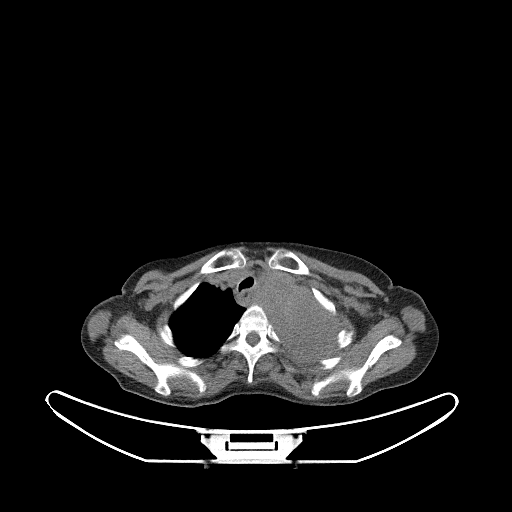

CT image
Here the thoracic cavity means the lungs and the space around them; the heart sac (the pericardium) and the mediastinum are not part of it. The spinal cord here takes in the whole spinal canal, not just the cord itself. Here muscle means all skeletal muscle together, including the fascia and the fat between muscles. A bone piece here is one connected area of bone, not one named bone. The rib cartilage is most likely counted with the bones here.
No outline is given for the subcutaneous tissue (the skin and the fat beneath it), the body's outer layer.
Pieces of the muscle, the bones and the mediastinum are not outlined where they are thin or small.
The thoracic cavity appears in 2 outlined pieces: piece 1: 271 272; 285 275; 297 282; 300 286; 311 293; 317 303; 333 318; 333 321; 337 326; 337 345; 335 350; 328 354; 326 356; 327 357; 316 361; 297 360; 285 347; 280 344; 281 339; 270 322; 264 308; 260 305; 262 294; 269 282; piece 2: 204 282; 208 282; 222 290; 230 288; 232 290; 233 297; 235 301; 239 305; 245 307; 245 309; 238 320; 233 325; 230 333; 214 353; 205 357; 195 357; 184 354; 176 346; 172 330; 168 324; 174 311; 181 306; 191 296; 201 283. The torso is outlined by 235 241; 300 242; 350 253; 373 263; 395 285; 412 289; 423 298; 439 330; 437 349; 431 361; 411 382; 345 405; 304 405; 271 395; 238 394; 213 404; 180 407; 122 389; 81 345; 80 330; 90 309; 119 293; 130 274; 148 261. The mediastinum is outlined by 253 266; 259 266; 264 270; 270 272; 269 273; 268 282; 263 289; 259 304; 258 303; 252 303; 247 307; 241 305; 236 301; 234 297; 233 290; 230 287; 222 289; 210 282; 216 278; 223 277; 240 269; 249 268. The spinal cord is outlined by 251 332; 255 332; 258 335; 258 336; 259 337; 259 340; 254 345; 251 345; 250 344; 249 344; 247 342; 247 341; 246 340; 246 338; 247 337; 247 335; 248 334; 249 334. The bones appear in 10 outlined pieces: piece 1: 252 304; 258 304; 263 308; 269 322; 280 339; 280 349; 276 353; 267 352; 258 358; 253 368; 252 381; 248 383; 247 377; 249 368; 245 357; 239 351; 236 350; 225 354; 222 354; 218 350; 231 333; 234 325; 239 320; 246 308, around a hole outlined by 251 332; 255 332; 258 335; 258 336; 259 337; 259 340; 254 345; 251 345; 250 344; 249 344; 247 342; 247 341; 246 340; 246 338; 247 337; 247 335; 248 334; 249 334; piece 2: 123 334; 133 336; 157 363; 175 362; 182 355; 202 358; 201 363; 190 369; 204 381; 205 390; 200 392; 193 381; 181 376; 167 379; 171 390; 168 396; 155 391; 154 387; 157 383; 155 373; 134 353; 121 350; 114 344; 114 341; piece 3: 389 334; 399 338; 401 343; 383 352; 367 369; 361 379; 362 390; 359 393; 348 397; 346 395; 346 390; 349 381; 342 379; 326 385; 317 396; 312 394; 311 388; 315 381; 321 380; 343 369; 359 368; 365 362; 377 342; piece 4: 232 247; 238 248; 245 256; 246 258; 246 263; 244 267; 242 268; 228 268; 227 269; 224 269; 223 270; 220 270; 215 272; 211 272; 206 274; 201 274; 200 273; 200 269; 203 264; 205 263; 219 250; 223 248; 231 248; piece 5: 281 247; 290 249; 307 266; 310 272; 310 275; 304 275; 303 274; 295 274; 294 273; 291 273; 290 272; 288 272; 284 270; 280 270; 279 269; 272 269; 270 268; 267 262; 268 259; 270 257; 270 256; 276 250; 276 249; 280 248; piece 6: 311 287; 314 287; 318 289; 326 297; 327 297; 333 302; 335 306; 335 315; 331 315; 331 314; 328 311; 324 309; 324 308; 322 307; 322 306; 320 305; 319 303; 318 303; 318 302; 315 299; 313 295; 313 293; 311 290; piece 7: 197 281; 199 281; 200 282; 198 286; 194 290; 194 291; 190 295; 190 296; 181 305; 180 305; 175 310; 174 310; 173 309; 173 303; 175 299; 179 295; 180 295; 183 292; 184 292; 190 286; 191 286; 195 282; piece 8: 164 324; 167 324; 169 326; 171 330; 171 332; 172 333; 172 337; 173 338; 173 341; 175 344; 175 346; 174 347; 172 346; 170 346; 168 344; 165 343; 162 340; 161 337; 159 335; 159 333; 158 332; 158 327; 160 326; 162 326; piece 9: 342 329; 345 329; 348 331; 349 330; 353 330; 353 331; 354 332; 353 333; 353 335; 352 336; 352 340; 351 341; 351 342; 349 344; 348 344; 346 346; 345 346; 342 348; 338 348; 338 336; 337 335; 337 334; 338 333; 338 332; piece 10: 336 356; 340 356; 341 357; 341 359; 340 360; 340 361; 334 367; 333 367; 332 368; 331 368; 330 369; 323 369; 322 368; 322 366; 320 364; 320 363; 318 361; 319 361; 321 359; 323 359; 324 358; 329 358; 330 357; 335 357. The muscle appears in 3 outlined pieces: piece 1: 239 246; 277 247; 266 261; 268 267; 295 275; 310 276; 311 272; 291 249; 337 268; 359 272; 385 293; 370 299; 374 311; 379 307; 408 305; 421 310; 426 327; 415 358; 404 368; 363 388; 362 379; 368 369; 383 353; 402 343; 389 333; 376 342; 359 367; 340 369; 312 383; 310 392; 317 397; 326 386; 346 380; 344 397; 304 399; 273 382; 249 384; 259 358; 267 353; 276 354; 280 345; 297 361; 317 361; 323 370; 330 370; 342 357; 327 356; 337 346; 342 349; 349 345; 355 332; 345 328; 338 331; 332 317; 336 315; 336 306; 318 288; 311 286; 310 292; 285 274; 259 265; 245 267; 247 258; 236 247; piece 2: 216 250; 200 267; 201 275; 239 269; 209 282; 195 281; 174 299; 173 312; 168 323; 157 327; 161 340; 170 347; 176 347; 183 354; 175 361; 157 362; 129 333; 123 333; 113 341; 119 350; 131 352; 154 373; 156 383; 153 389; 115 369; 97 353; 87 331; 88 321; 93 314; 103 309; 110 310; 113 314; 130 309; 135 311; 140 295; 132 296; 133 288; 145 272; 152 269; 173 271; piece 3: 217 351; 222 355; 236 351; 244 357; 248 368; 247 383; 231 382; 216 394; 208 397; 190 399; 169 396; 172 392; 168 383; 169 378; 185 377; 196 385; 200 393; 203 393; 207 385; 202 377; 191 368; 198 366; 204 361; 203 358.